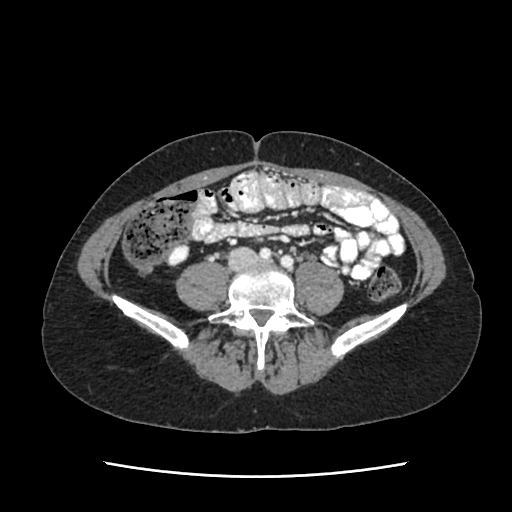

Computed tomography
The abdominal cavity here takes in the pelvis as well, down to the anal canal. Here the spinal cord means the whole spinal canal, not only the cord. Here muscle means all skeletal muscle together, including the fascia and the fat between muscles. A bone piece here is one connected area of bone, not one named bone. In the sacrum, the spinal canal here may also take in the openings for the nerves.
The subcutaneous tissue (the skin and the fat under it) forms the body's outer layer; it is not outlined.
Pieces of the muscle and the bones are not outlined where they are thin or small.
{"abdominal_cavity":[[[333,326],[402,302],[416,272],[404,229],[366,191],[249,167],[137,212],[111,256],[113,290],[182,321],[204,318],[176,293],[178,276],[195,261],[223,264],[230,279],[259,260],[289,276],[303,263],[317,262],[333,268],[344,284],[338,308],[319,318]]],"muscle":[[[278,393],[320,380],[341,359],[329,350],[338,335],[400,304],[333,327],[318,318],[341,302],[341,279],[331,268],[305,263],[291,275],[294,299],[297,309],[315,325],[283,335],[271,333],[265,369],[258,371],[252,332],[207,320],[210,314],[229,306],[231,279],[223,265],[195,262],[177,280],[178,297],[203,315],[202,320],[178,321],[134,302],[185,331],[189,347],[175,349],[197,375],[225,389],[236,391],[259,382]],[[400,320],[445,279],[446,264],[442,247],[424,220],[411,208],[354,177],[326,169],[280,166],[267,161],[255,160],[192,174],[106,219],[87,238],[77,261],[80,278],[97,295],[114,305],[110,299],[112,293],[133,301],[113,291],[108,283],[110,256],[129,218],[160,197],[194,189],[249,166],[263,165],[318,181],[369,191],[377,195],[390,208],[405,229],[417,255],[417,272],[413,288],[404,301],[409,306]],[[157,335],[158,335],[157,334],[156,334],[155,333],[154,333],[149,329],[148,329],[147,328],[146,328],[143,325],[142,325],[141,324],[140,324],[139,323],[138,323],[137,322],[136,322],[135,321],[134,321],[133,320],[132,320],[133,321],[134,321],[137,324],[138,324],[141,327],[142,327],[143,328],[144,328],[145,329],[146,329],[147,330],[148,330],[149,331],[150,331],[151,332],[152,332],[153,333],[154,333]],[[364,343],[365,343],[368,341],[370,341],[372,339],[373,339],[374,338],[375,338],[376,337],[377,337],[378,336],[379,336],[380,335],[381,335],[382,334],[385,333],[387,331],[388,331],[392,327],[391,327],[386,331],[383,332],[381,334],[380,334],[379,335],[378,335],[377,336],[376,336],[375,337],[374,337],[373,338],[372,338],[371,339],[368,340],[366,342],[365,342]]],"bones":[{"outer":[[258,370],[264,369],[265,345],[271,332],[283,334],[292,328],[314,325],[311,319],[295,307],[294,286],[291,278],[276,264],[266,261],[255,262],[234,276],[228,287],[230,306],[208,317],[212,323],[227,324],[239,330],[253,332],[257,347],[256,367]],"hole":[[260,325],[262,325],[264,323],[264,322],[268,318],[268,317],[271,314],[271,312],[270,311],[259,311],[258,310],[252,310],[251,311],[251,313],[252,314],[252,315],[255,318],[255,319],[257,321],[257,322]]},[[337,358],[343,357],[349,351],[353,349],[356,346],[381,333],[396,323],[405,313],[408,304],[406,302],[404,302],[399,306],[391,310],[389,310],[381,314],[378,314],[374,316],[371,319],[350,328],[338,336],[334,340],[330,347],[331,353]],[[179,349],[186,349],[188,347],[189,343],[188,337],[182,329],[175,326],[162,317],[151,313],[146,308],[144,308],[116,294],[112,294],[111,295],[111,299],[117,308],[122,311],[131,319],[133,319],[143,324],[146,327],[163,337],[175,348]]],"torso":[[[228,434],[327,431],[415,414],[452,392],[475,356],[482,329],[481,300],[455,230],[417,186],[341,140],[295,130],[274,131],[259,139],[239,130],[213,130],[168,142],[131,165],[100,194],[52,273],[42,308],[41,347],[50,372],[67,392],[129,422]]],"spinal_cord":[[[260,325],[262,325],[264,323],[264,322],[268,318],[268,317],[271,314],[271,312],[270,311],[259,311],[258,310],[252,310],[251,311],[251,313],[252,314],[252,315],[255,318],[255,319],[257,321],[257,322]]]}